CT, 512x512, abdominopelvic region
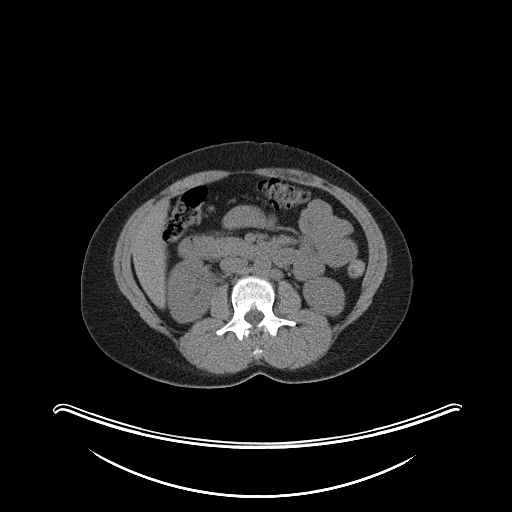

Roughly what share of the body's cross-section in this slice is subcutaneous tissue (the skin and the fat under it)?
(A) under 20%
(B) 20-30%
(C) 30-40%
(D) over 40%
Answer: (C) 30-40%
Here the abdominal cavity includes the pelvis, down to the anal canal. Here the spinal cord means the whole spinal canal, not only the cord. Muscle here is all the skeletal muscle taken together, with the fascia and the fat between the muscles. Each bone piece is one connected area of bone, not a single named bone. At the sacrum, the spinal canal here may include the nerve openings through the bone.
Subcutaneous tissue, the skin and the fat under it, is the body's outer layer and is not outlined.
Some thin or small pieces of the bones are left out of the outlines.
The muscle is outlined by 261 166; 295 168; 303 170; 315 174; 354 195; 368 209; 383 235; 388 254; 386 271; 367 309; 356 320; 340 332; 325 355; 313 364; 293 370; 279 369; 272 366; 267 366; 265 364; 250 364; 246 368; 235 373; 213 374; 200 370; 190 364; 167 337; 150 327; 142 319; 139 313; 120 291; 113 272; 113 255; 115 246; 123 226; 132 213; 139 206; 173 182; 192 173; 205 170; 243 169; inner edges: 234 174; 319 188; 357 220; 367 265; 359 295; 341 321; 331 324; 302 308; 286 280; 276 286; 272 310; 295 325; 281 325; 274 336; 216 334; 233 315; 227 283; 212 291; 210 315; 185 331; 154 310; 131 266; 148 216; 193 186, then 256 347; 257 347; 258 347; 259 348; 260 349; 261 349; 261 350; 262 351; 262 352; 261 353; 260 354; 259 354; 258 354; 257 354; 256 354; 255 354; 254 354; 253 353; 253 352; 253 351; 254 350; 254 349; 255 348. The torso is outlined by 239 140; 279 142; 329 160; 379 200; 405 237; 414 278; 407 315; 381 350; 347 373; 310 383; 284 383; 258 374; 230 387; 180 387; 150 379; 120 365; 98 347; 84 323; 80 308; 82 264; 89 240; 107 211; 164 162; 200 147. The abdominal cavity is outlined by 234 174; 319 188; 357 220; 367 241; 367 265; 359 295; 341 321; 331 324; 302 308; 288 281; 279 281; 275 290; 253 274; 238 278; 229 296; 227 283; 217 286; 210 315; 185 331; 167 325; 154 310; 131 266; 148 216; 193 186. The bones are outlined by 250 275; 266 279; 272 284; 275 291; 272 306; 274 314; 280 318; 294 321; 295 325; 281 325; 274 336; 267 331; 260 331; 257 334; 251 333; 241 340; 230 330; 221 335; 216 334; 216 331; 233 315; 230 300; 233 285; 238 279 with a hole at 252 309; 255 309; 256 310; 257 310; 258 311; 259 311; 260 312; 261 312; 263 315; 263 317; 261 319; 261 320; 259 322; 258 322; 254 326; 251 323; 250 323; 249 322; 248 322; 245 319; 245 315; 250 310; 251 310. The spinal cord is outlined by 252 309; 255 309; 256 310; 257 310; 258 311; 259 311; 260 312; 261 312; 263 315; 263 317; 261 319; 261 320; 259 322; 258 322; 254 326; 251 323; 250 323; 249 322; 248 322; 245 319; 245 315; 250 310; 251 310.